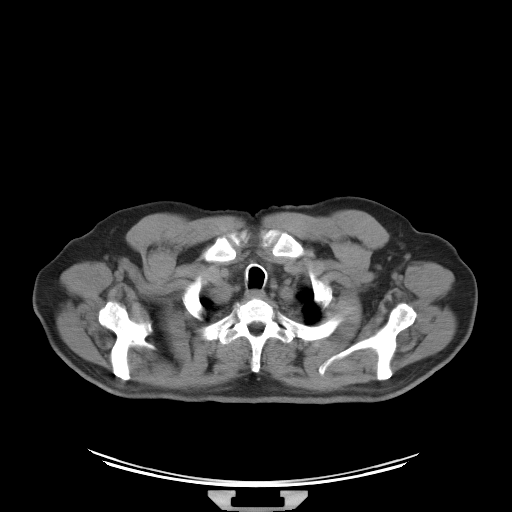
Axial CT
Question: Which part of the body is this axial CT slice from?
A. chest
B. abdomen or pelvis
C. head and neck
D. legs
Answer: A. chest
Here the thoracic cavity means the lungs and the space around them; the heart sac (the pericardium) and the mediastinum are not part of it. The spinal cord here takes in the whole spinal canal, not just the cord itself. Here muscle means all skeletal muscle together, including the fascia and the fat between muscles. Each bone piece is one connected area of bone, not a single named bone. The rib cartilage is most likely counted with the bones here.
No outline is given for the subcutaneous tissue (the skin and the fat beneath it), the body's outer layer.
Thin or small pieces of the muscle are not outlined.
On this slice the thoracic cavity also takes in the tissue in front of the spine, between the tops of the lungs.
The left arm is outlined by 447,240 448,240 456,248 460,257 470,267 475,276 475,278 476,279 476,281 475,282 467,282 466,281 460,280 456,278 450,272 447,266 445,264 443,260 443,257 442,256 442,250 443,249 443,246 445,242. The torso is outlined by 337,195 375,200 416,229 443,237 441,256 449,272 477,282 476,316 466,343 431,376 391,399 296,404 124,398 68,366 51,348 33,310 32,303 54,302 73,284 74,264 64,245 116,210 174,199 253,213. The spinal cord is outlined by 252,322 261,322 262,323 263,323 263,324 264,325 264,326 263,327 263,328 262,329 262,330 259,333 258,333 257,334 254,334 253,333 252,333 251,332 251,331 249,329 249,325. The right arm is outlined by 63,247 69,253 72,260 73,268 74,269 74,277 73,278 72,284 69,290 63,296 54,301 51,301 46,303 36,303 35,302 32,302 32,290 33,289 34,280 35,279 37,272 41,267 49,262. The thoracic cavity is outlined by 248,258 257,258 276,264 283,268 292,280 310,287 312,299 320,310 318,319 313,324 307,324 304,322 298,307 254,296 249,299 241,298 221,303 214,308 206,309 200,299 201,289 215,280 221,268. The bones appear in 7 outlined pieces: piece 1: 254,297 275,304 288,317 307,325 336,315 342,320 329,336 317,340 295,337 285,343 268,338 261,350 260,369 255,373 250,367 251,345 244,336 222,344 218,339 203,339 197,332 229,313 235,302 243,303, around a hole outlined by 252,322 261,322 262,323 263,323 263,324 264,325 264,326 263,327 263,328 262,329 262,330 259,333 258,333 257,334 254,334 253,333 252,333 251,332 251,331 249,329 249,325; piece 2: 108,301 117,301 124,305 129,318 133,321 149,321 152,326 152,331 145,339 155,346 156,348 154,350 135,345 128,349 129,380 114,375 112,372 110,351 115,342 116,335 111,330 102,326 98,320 99,310; piece 3: 400,302 411,306 416,313 416,317 410,326 400,331 396,336 396,348 390,361 392,375 389,378 385,380 376,378 377,353 370,347 355,350 334,360 322,375 319,373 319,366 331,356 374,334 387,321 392,308; piece 4: 241,231 246,231 250,235 250,238 245,245 240,245 239,246 235,245 234,246 234,248 236,251 236,255 234,259 223,262 220,261 206,261 201,256 202,253 215,241 217,237 223,235 227,235 231,232 240,232; piece 5: 270,229 277,229 280,231 285,231 293,236 303,246 305,250 304,253 301,256 296,258 292,258 286,256 275,256 273,255 271,250 272,248 271,245 263,247 260,244 261,242 261,238 260,237 261,233; piece 6: 197,277 199,277 200,278 200,281 201,282 201,286 199,291 199,299 200,300 200,302 205,309 204,319 202,321 200,321 196,319 189,313 184,306 183,304 183,301 182,300 182,296 186,287 190,283 194,281; piece 7: 310,270 318,279 322,281 326,281 330,285 332,289 332,299 329,303 328,306 324,310 322,311 321,311 320,308 315,303 313,299 313,291 311,287 311,280 310,279 310,275 309,274 309,271. The muscle appears in 2 outlined pieces: piece 1: 340,209 365,211 390,234 371,258 379,298 413,260 455,277 447,296 455,335 393,375 397,336 417,317 404,301 374,333 317,368 322,376 370,348 377,380 317,392 256,374 268,339 317,341 343,320 315,323 333,299 326,280 310,269 306,286 257,257 221,267 201,288 197,276 181,296 200,322 206,310 234,302 196,332 222,345 244,337 254,373 198,389 130,380 129,349 157,348 146,339 152,323 133,320 117,300 97,313 115,335 113,374 57,331 54,312 66,296 60,274 84,260 114,270 122,257 139,263 125,234 148,214 234,215 257,225 275,212 with holes at 241,231 246,231 250,235 250,238 245,245 240,245 239,246 235,245 234,246 234,248 236,251 236,255 234,259 223,262 220,261 206,261 201,256 202,253 215,241 217,237 223,235 227,235 231,232 240,232 and at 270,229 277,229 280,231 285,231 293,236 303,246 305,250 304,253 301,256 296,258 292,258 286,256 275,256 273,255 271,250 272,248 271,245 263,247 260,244 261,242 261,238 260,237 261,233; piece 2: 267,299 273,300 275,302 279,302 280,304 283,304 286,306 289,306 293,308 298,308 302,315 302,317 303,318 303,322 302,321 298,321 288,316 280,309 279,309 277,307 277,305 275,303 270,303 265,300.